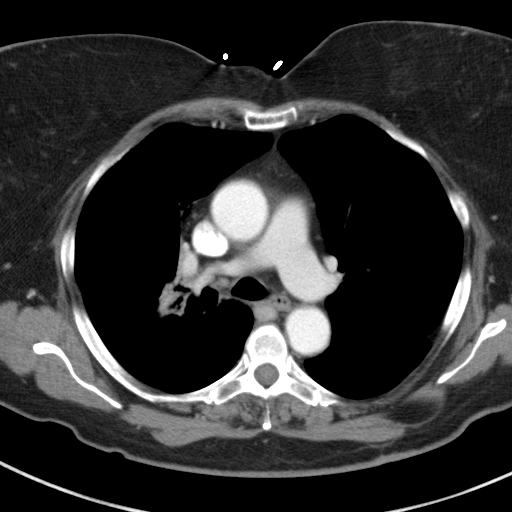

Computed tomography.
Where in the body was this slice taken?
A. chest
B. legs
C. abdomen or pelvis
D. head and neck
Answer: A. chest
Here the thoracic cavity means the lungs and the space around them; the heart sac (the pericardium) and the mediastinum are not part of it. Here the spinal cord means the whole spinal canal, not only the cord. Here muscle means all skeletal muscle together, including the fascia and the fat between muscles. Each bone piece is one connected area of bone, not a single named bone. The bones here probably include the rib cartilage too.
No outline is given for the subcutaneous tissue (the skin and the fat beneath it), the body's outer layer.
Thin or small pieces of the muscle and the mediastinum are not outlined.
Outlines (x, y in pixels):
mediastinum: 312 118; 313 123; 287 131; 277 141; 280 153; 310 189; 331 256; 335 284; 324 300; 331 324; 330 343; 300 365; 277 325; 264 323; 252 328; 254 317; 247 305; 226 297; 194 271; 182 233; 194 202; 271 147; 273 136; 264 131; inner edge: 238 180; 251 180; 256 183; 292 192; 301 196; 309 204; 314 214; 314 236; 319 248; 319 261; 311 270; 288 280; 281 280; 268 273; 229 276; 219 274; 209 268; 193 253; 193 229; 207 209; 209 203; 220 187; 229 182
spinal cord: 263 364; 270 364; 272 365; 276 369; 277 371; 277 373; 278 374; 277 376; 277 378; 272 383; 271 383; 269 385; 264 385; 260 382; 259 382; 255 377; 255 375; 254 374; 255 372; 255 370; 259 366
pericardium: 238 180; 251 180; 256 183; 292 192; 301 196; 309 204; 314 214; 314 236; 319 248; 319 261; 311 270; 288 280; 281 280; 268 273; 229 276; 219 274; 209 268; 193 253; 193 229; 207 209; 209 203; 220 187; 229 182
muscle: 206 96; 233 96; 257 102; 264 107; 269 107; 289 100; 305 97; 351 101; 362 104; 376 111; 393 123; 398 124; 399 127; 410 136; 417 138; 431 146; 443 158; 455 180; 472 197; 491 233; 496 239; 495 245; 487 253; 486 256; 486 271; 490 291; 494 302; 506 301; 508 299; 508 295; 511 289; 511 366; 497 366; 478 381; 472 381; 457 391; 452 392; 448 396; 442 411; 434 419; 423 425; 420 429; 410 431; 399 438; 374 441; 355 441; 344 439; 311 441; 300 438; 287 437; 265 431; 251 438; 209 437; 185 445; 172 447; 155 440; 142 429; 118 419; 111 413; 106 413; 99 409; 87 408; 77 403; 51 397; 40 390; 34 384; 31 384; 26 380; 24 381; 1 363; 0 301; 6 299; 14 299; 24 305; 29 304; 34 306; 40 304; 43 299; 50 300; 52 294; 57 288; 56 270; 51 244; 55 229; 55 223; 58 219; 58 213; 61 207; 59 200; 68 186; 91 162; 100 154; 108 150; 135 123; 142 118; 169 104, around holes outlined by 299 103; 296 124; 352 114; 412 138; 443 189; 463 198; 469 223; 460 269; 468 265; 472 280; 457 326; 442 346; 439 327; 422 361; 380 395; 342 396; 343 404; 327 406; 289 393; 270 398; 269 430; 262 400; 247 392; 220 404; 138 396; 86 345; 72 313; 74 303; 84 305; 81 291; 75 276; 66 281; 62 272; 62 236; 77 226; 88 179; 104 157; 165 123; 243 126; 240 108 and by 41 341; 51 342; 59 346; 67 356; 75 373; 82 380; 94 385; 102 392; 121 403; 122 404; 122 408; 118 409; 114 407; 102 397; 78 383; 70 374; 63 360; 56 354; 53 353; 37 354; 35 353; 32 349; 32 346; 34 343 and by 501 318; 504 318; 506 320; 505 327; 499 333; 493 336; 488 337; 483 340; 477 348; 473 357; 463 367; 458 370; 444 382; 437 384; 436 383; 436 380; 441 374; 454 368; 460 364; 468 356; 480 333; 482 327; 488 322; 494 322
thoracic cavity 1: 338 114; 352 114; 371 122; 421 156; 445 191; 463 238; 460 271; 430 349; 393 388; 362 399; 344 397; 326 388; 301 366; 305 360; 323 353; 331 343; 332 324; 325 300; 336 284; 332 256; 311 189; 278 148; 278 141; 285 133
thoracic cavity 2: 168 122; 210 123; 213 127; 268 132; 272 136; 266 151; 240 165; 194 201; 183 224; 181 242; 193 271; 226 298; 247 306; 253 322; 236 363; 209 384; 182 393; 148 386; 122 366; 91 321; 74 275; 76 227; 86 198; 131 148
torso: 377 19; 466 24; 511 37; 511 407; 477 419; 444 445; 377 466; 301 477; 233 477; 130 460; 118 452; 106 452; 80 441; 65 426; 33 420; 0 405; 0 47; 55 35; 137 33; 178 42; 218 63; 252 64; 281 76; 334 30
bones 1: 74 303; 84 307; 121 366; 154 392; 182 394; 209 385; 237 363; 252 329; 274 324; 301 368; 339 395; 343 404; 314 406; 282 393; 267 402; 271 427; 264 430; 262 400; 247 392; 220 404; 151 402; 123 386; 94 357; 74 321 with a hole at 263 364; 270 364; 272 365; 276 369; 277 371; 277 373; 278 374; 277 376; 277 378; 272 383; 271 383; 269 385; 264 385; 260 382; 259 382; 255 377; 255 375; 254 374; 255 372; 255 370; 259 366
bones 2: 299 103; 302 103; 304 105; 304 109; 298 121; 295 123; 292 123; 283 127; 275 129; 270 129; 263 131; 247 129; 244 126; 242 118; 239 113; 239 109; 240 108; 247 108; 258 111; 271 111; 272 110; 284 109; 290 106; 296 106
bones 3: 467 265; 468 265; 470 268; 471 275; 472 276; 469 297; 465 306; 464 311; 462 314; 462 316; 457 326; 445 344; 441 346; 441 342; 443 336; 440 332; 440 326; 443 320; 444 315; 449 305; 449 303; 451 300; 460 272; 461 270
bones 4: 41 341; 51 342; 59 346; 67 356; 75 373; 82 380; 94 385; 102 392; 121 403; 122 404; 122 408; 118 409; 114 407; 102 397; 78 383; 70 374; 63 360; 56 354; 53 353; 37 354; 35 353; 32 349; 32 346; 34 343
bones 5: 501 318; 504 318; 506 320; 505 327; 499 333; 493 336; 488 337; 483 340; 477 348; 473 357; 463 367; 458 370; 444 382; 437 384; 436 383; 436 380; 441 374; 454 368; 460 364; 468 356; 480 333; 482 327; 488 322; 494 322
bones 6: 72 223; 74 224; 74 226; 75 227; 75 235; 74 236; 74 273; 73 274; 73 276; 72 276; 68 281; 66 281; 64 278; 64 276; 62 272; 62 266; 61 265; 61 260; 60 259; 60 246; 61 245; 62 236; 65 230; 68 226
bones 7: 128 145; 130 145; 130 148; 129 150; 101 176; 101 177; 96 182; 94 186; 91 189; 85 198; 84 201; 82 202; 81 201; 81 198; 82 197; 84 189; 86 186; 87 181; 95 168; 102 160; 102 159; 104 157; 110 154; 117 153
bones 8: 447 189; 450 189; 453 191; 457 192; 463 198; 467 206; 467 209; 469 213; 469 223; 468 224; 468 228; 466 230; 463 230; 462 229; 461 225; 458 219; 456 217; 456 215; 452 208; 452 206; 450 203; 450 201; 446 192; 447 191
bones 9: 382 125; 386 126; 389 128; 391 128; 396 131; 401 132; 405 135; 415 140; 426 152; 429 159; 428 161; 427 161; 421 155; 420 155; 415 151; 408 148; 406 146; 401 144; 399 142; 396 141; 393 138; 392 138; 381 127